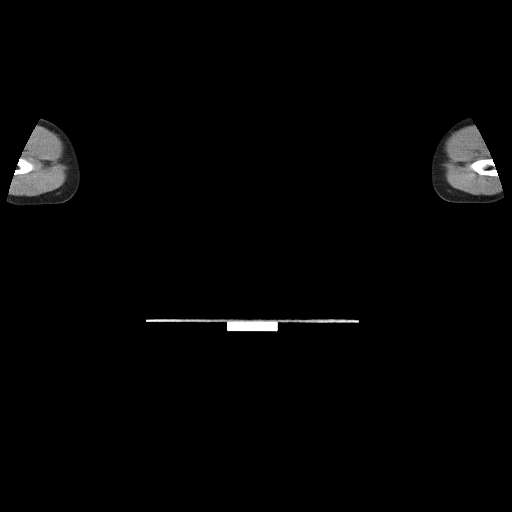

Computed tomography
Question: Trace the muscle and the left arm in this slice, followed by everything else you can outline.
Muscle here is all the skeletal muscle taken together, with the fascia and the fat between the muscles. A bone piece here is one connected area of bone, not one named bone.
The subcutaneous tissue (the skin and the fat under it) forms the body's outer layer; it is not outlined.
Answer: muscle 1: 36 125; 43 126; 53 131; 63 141; 70 157; 71 162; 70 174; 67 180; 60 187; 52 191; 36 196; 10 195; 8 194; 10 191; 12 180; 14 176; 18 174; 26 174; 35 168; 35 165; 33 162; 21 155; 32 132; 36 127
muscle 2: 473 124; 477 128; 485 143; 490 157; 478 158; 472 161; 469 164; 469 167; 479 175; 495 176; 498 178; 502 190; 493 195; 473 195; 458 190; 450 186; 447 183; 444 177; 444 169; 441 164; 445 141; 454 131; 465 126; 470 126
left arm: 465 117; 470 117; 472 119; 485 143; 490 157; 493 161; 494 168; 496 171; 497 177; 500 182; 503 192; 503 198; 500 200; 490 203; 453 203; 446 201; 441 198; 434 191; 432 187; 430 179; 430 161; 435 144; 440 135; 451 124
right arm: 41 118; 47 119; 59 126; 71 139; 75 147; 80 166; 81 179; 79 187; 76 193; 71 198; 58 204; 14 205; 8 203; 7 197; 10 191; 12 180; 14 177; 14 172; 17 168; 18 161; 21 157; 22 152; 32 132
bones 1: 487 158; 491 158; 492 159; 493 161; 493 163; 494 164; 494 168; 496 171; 497 176; 495 175; 485 175; 484 174; 479 174; 477 172; 473 170; 470 167; 470 164; 472 162; 478 159; 486 159
bones 2: 21 157; 22 157; 23 158; 30 161; 32 163; 33 163; 33 164; 34 165; 34 168; 32 170; 31 170; 26 173; 18 173; 17 174; 14 175; 14 172; 16 170; 16 169; 17 168; 17 164; 18 163; 18 161; 19 160; 19 159